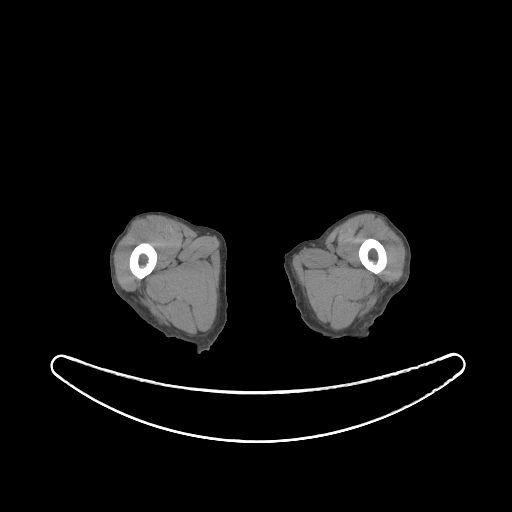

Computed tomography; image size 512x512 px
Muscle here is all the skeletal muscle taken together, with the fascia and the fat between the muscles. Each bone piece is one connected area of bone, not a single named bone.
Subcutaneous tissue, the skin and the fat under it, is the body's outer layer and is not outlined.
{"left_leg":[[[361,209],[372,209],[382,212],[406,236],[411,250],[409,278],[403,288],[390,299],[383,313],[373,322],[369,334],[365,338],[327,338],[309,328],[300,317],[295,306],[294,297],[284,270],[284,254],[304,240],[317,238],[326,228],[343,216]]],"bones":[[[142,242],[147,242],[148,243],[150,243],[153,246],[153,247],[155,249],[157,253],[157,261],[152,271],[149,274],[148,274],[143,278],[141,279],[139,279],[137,278],[131,272],[130,270],[130,268],[129,267],[129,257],[134,247]],[[367,238],[374,238],[378,240],[383,245],[386,251],[386,255],[387,256],[387,262],[386,263],[386,265],[385,267],[379,273],[377,274],[375,274],[371,271],[368,270],[361,263],[359,259],[359,257],[358,256],[358,250],[359,249],[359,247],[361,243]]],"right_leg":[[[155,210],[168,212],[180,216],[194,224],[216,229],[223,235],[226,242],[227,320],[222,331],[210,348],[200,353],[196,353],[195,346],[192,343],[173,337],[166,337],[144,321],[119,297],[111,283],[109,252],[114,239],[122,231],[132,216],[141,212]]],"muscle":[{"outer":[[147,215],[162,215],[174,219],[188,226],[200,235],[214,235],[219,241],[220,273],[217,311],[212,328],[203,335],[189,334],[160,323],[150,311],[131,293],[125,291],[119,285],[116,279],[114,266],[115,249],[119,241],[127,233],[132,222],[137,218]],"hole":[[142,242],[147,242],[148,243],[150,243],[153,246],[153,247],[155,249],[157,253],[157,261],[152,271],[149,274],[148,274],[143,278],[141,279],[139,279],[137,278],[131,272],[130,270],[130,268],[129,267],[129,257],[134,247]]},{"outer":[[363,213],[372,213],[376,216],[381,217],[401,239],[405,248],[403,274],[398,281],[384,292],[376,302],[374,307],[362,319],[354,325],[347,328],[336,330],[325,326],[316,318],[296,277],[291,261],[293,255],[302,248],[321,245],[335,227],[349,218]],"hole":[[367,238],[374,238],[378,240],[383,245],[386,251],[386,255],[387,256],[387,262],[386,263],[386,265],[385,267],[379,273],[377,274],[375,274],[371,271],[368,270],[361,263],[359,259],[359,257],[358,256],[358,250],[359,249],[359,247],[361,243]]}]}